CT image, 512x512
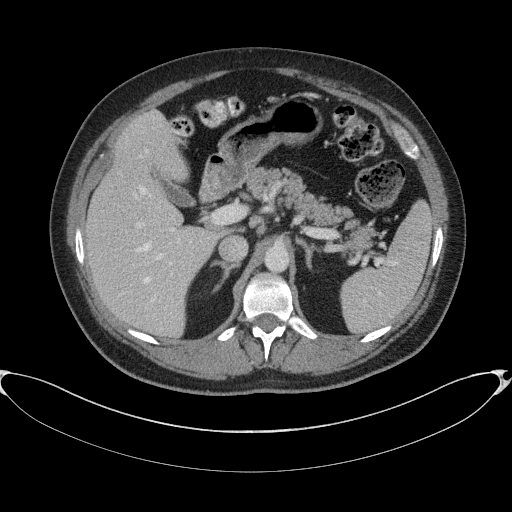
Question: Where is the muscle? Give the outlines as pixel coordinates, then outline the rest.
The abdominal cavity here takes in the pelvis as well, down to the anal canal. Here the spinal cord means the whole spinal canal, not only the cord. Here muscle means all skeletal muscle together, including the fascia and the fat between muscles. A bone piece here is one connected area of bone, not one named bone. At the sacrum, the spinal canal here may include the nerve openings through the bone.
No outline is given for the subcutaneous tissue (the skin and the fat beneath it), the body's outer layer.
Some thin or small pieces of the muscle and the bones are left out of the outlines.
Answer: {"muscle":[{"outer":[[214,380],[220,380],[227,378],[240,378],[256,369],[258,370],[263,368],[271,368],[280,372],[293,373],[294,374],[303,374],[304,375],[321,375],[322,374],[326,374],[347,369],[360,363],[362,363],[378,354],[391,342],[399,337],[411,327],[419,319],[420,316],[425,312],[428,304],[431,301],[434,294],[434,291],[438,280],[438,276],[441,269],[444,253],[446,248],[448,220],[449,219],[448,202],[440,171],[435,161],[433,154],[423,136],[416,126],[406,116],[389,104],[342,81],[319,76],[296,68],[292,68],[291,67],[261,67],[260,66],[246,67],[243,66],[237,68],[214,71],[207,74],[203,74],[185,80],[180,80],[156,90],[147,97],[141,100],[128,111],[116,118],[99,135],[92,145],[87,150],[80,165],[78,167],[71,188],[71,193],[69,198],[68,210],[66,217],[66,223],[67,224],[66,226],[66,242],[70,247],[70,251],[74,260],[75,272],[92,314],[98,323],[116,339],[132,347],[142,355],[158,365],[167,369],[175,371],[178,373],[199,378],[213,379]],"holes":[[[266,361],[288,326],[311,339],[315,329],[361,342],[388,331],[434,267],[443,235],[405,128],[392,122],[392,134],[348,99],[247,69],[195,85],[118,132],[83,230],[75,230],[75,253],[108,313],[154,344],[211,335],[244,287],[241,319]],[[218,340],[226,340],[227,339],[228,339],[230,337],[231,337],[233,335],[233,334],[234,333],[234,332],[236,329],[236,326],[235,325],[234,325],[233,326],[232,326],[229,328],[227,328],[226,329],[225,329],[223,331],[222,331],[217,336],[217,339]]]},[[303,320],[303,319],[299,312],[299,310],[298,309],[298,308],[294,301],[294,299],[293,298],[293,296],[292,295],[292,293],[292,296],[293,297],[293,304],[294,305],[294,312],[293,313],[295,313],[296,314],[297,314]]],"spinal_cord":[[[266,332],[269,332],[271,330],[272,330],[276,326],[277,326],[279,324],[280,324],[280,321],[277,318],[277,317],[276,317],[274,315],[273,315],[272,314],[261,314],[260,315],[259,315],[258,316],[255,317],[255,319],[254,320],[254,324],[257,325]]],"abdominal_cavity":[[[176,341],[211,335],[229,319],[239,293],[260,271],[281,275],[304,320],[336,337],[361,337],[391,323],[409,306],[430,262],[433,214],[416,166],[377,115],[295,77],[247,69],[195,85],[134,116],[118,132],[86,206],[86,265],[114,319],[157,339]]],"torso":[[[206,396],[307,393],[344,387],[412,357],[439,327],[465,256],[466,215],[461,186],[444,146],[417,104],[397,83],[372,67],[335,55],[272,46],[196,52],[126,79],[93,106],[78,128],[58,172],[49,212],[51,257],[66,303],[95,349],[130,377]]],"bones":[{"outer":[[266,361],[272,341],[276,337],[281,336],[288,326],[311,339],[316,338],[317,334],[297,315],[292,313],[291,291],[286,281],[281,276],[260,272],[250,279],[245,288],[242,301],[245,317],[241,319],[251,324],[253,336],[258,337],[262,341],[264,359]],"hole":[[266,332],[269,332],[271,330],[272,330],[276,326],[277,326],[279,324],[280,324],[280,321],[277,318],[277,317],[276,317],[274,315],[273,315],[272,314],[261,314],[260,315],[259,315],[258,316],[255,317],[255,319],[254,320],[254,324],[257,325]]},[[414,160],[417,159],[420,156],[420,151],[419,150],[419,147],[418,145],[414,141],[414,140],[412,138],[410,134],[406,130],[405,128],[404,128],[400,124],[398,123],[392,122],[391,126],[394,132],[394,135],[398,140],[404,153],[410,158]],[[432,268],[434,267],[437,261],[441,249],[442,242],[443,241],[443,235],[440,226],[437,227],[434,234],[434,241],[433,242],[433,248],[432,249],[432,255],[431,256],[431,262],[430,263],[430,266]],[[81,265],[82,265],[84,263],[84,251],[83,250],[83,243],[82,242],[82,234],[81,233],[81,230],[80,229],[80,228],[79,227],[77,227],[76,228],[76,229],[75,230],[75,253],[76,254],[76,257],[77,258],[77,260],[79,262],[79,263]],[[361,342],[367,342],[368,341],[373,340],[379,337],[381,335],[382,335],[384,333],[388,331],[391,328],[391,325],[390,324],[388,324],[383,327],[381,327],[376,330],[374,330],[372,332],[370,332],[366,334],[360,339],[360,341]],[[154,344],[158,344],[159,343],[159,342],[153,337],[152,337],[147,334],[145,334],[142,332],[140,332],[139,331],[134,330],[131,328],[128,328],[127,329],[127,331],[132,335],[133,335],[134,336],[135,336],[144,341],[147,341],[150,343],[153,343]],[[218,340],[226,340],[227,339],[228,339],[230,337],[231,337],[233,335],[233,334],[234,333],[234,332],[236,329],[236,326],[235,325],[234,325],[233,326],[232,326],[229,328],[227,328],[226,329],[225,329],[223,331],[222,331],[217,336],[217,339]]]}